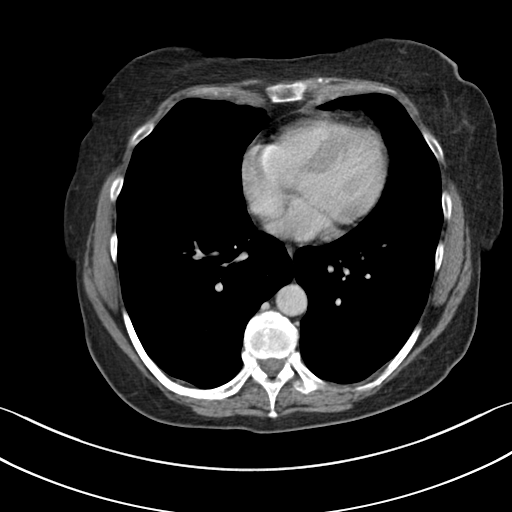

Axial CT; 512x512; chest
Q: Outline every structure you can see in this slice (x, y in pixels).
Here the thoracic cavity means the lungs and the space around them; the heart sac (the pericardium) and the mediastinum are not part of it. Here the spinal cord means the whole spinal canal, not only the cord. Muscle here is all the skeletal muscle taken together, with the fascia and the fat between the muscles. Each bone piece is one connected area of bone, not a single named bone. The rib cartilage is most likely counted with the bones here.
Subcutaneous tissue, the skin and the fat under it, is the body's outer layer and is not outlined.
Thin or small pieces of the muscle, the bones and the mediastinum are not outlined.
A: Outlines (x, y in pixels):
spinal cord: 269 358; 275 358; 279 360; 282 360; 283 362; 282 364; 282 367; 280 369; 280 370; 273 377; 270 377; 268 375; 268 374; 265 371; 264 371; 261 367; 261 362
bones 1: 123 308; 157 366; 172 380; 200 389; 222 385; 241 369; 248 321; 256 313; 277 311; 298 329; 302 361; 327 385; 304 394; 290 379; 276 396; 274 418; 268 416; 266 390; 251 378; 237 393; 223 399; 177 394; 142 361; 127 333 with a hole at 269 358; 275 358; 279 360; 282 360; 283 362; 282 364; 282 367; 280 369; 280 370; 273 377; 270 377; 268 375; 268 374; 265 371; 264 371; 261 367; 261 362
bones 2: 318 77; 333 78; 335 80; 334 81; 335 82; 325 85; 312 92; 306 93; 304 96; 304 98; 302 100; 274 103; 269 100; 265 92; 265 87; 271 84; 275 84; 276 83; 286 84; 287 83; 292 83; 298 80; 302 81; 313 80
bones 3: 418 324; 421 326; 421 331; 415 343; 406 356; 395 368; 395 369; 394 369; 380 384; 370 389; 367 389; 363 391; 356 391; 354 390; 353 389; 356 386; 358 385; 362 385; 375 379; 383 371; 390 360; 395 356; 403 346; 416 325
bones 4: 422 130; 425 130; 429 132; 432 135; 433 135; 438 141; 443 151; 443 157; 441 159; 439 160; 437 160; 437 159; 435 157; 434 154; 428 146; 427 143; 425 141; 421 133; 421 131
bones 5: 146 122; 153 122; 154 123; 154 124; 155 125; 154 126; 152 131; 148 135; 147 135; 145 137; 144 137; 135 146; 133 146; 131 143; 131 138; 132 137; 132 136; 134 134; 134 133; 138 129; 138 128; 140 126; 141 126
bones 6: 443 190; 445 190; 446 191; 447 191; 447 192; 450 195; 450 196; 451 197; 451 216; 449 218; 449 219; 444 219; 443 218; 443 212; 442 211; 442 206; 441 205; 441 193; 442 192; 442 191
bones 7: 119 175; 122 175; 124 177; 124 179; 123 180; 123 184; 122 185; 121 190; 119 194; 117 196; 117 198; 116 200; 114 202; 110 199; 110 196; 109 195; 110 194; 110 187; 111 186; 111 184; 113 180; 117 176
bones 8: 439 241; 441 241; 443 243; 443 244; 444 245; 444 251; 443 252; 443 257; 442 258; 442 261; 441 262; 441 264; 439 267; 439 269; 436 272; 434 272; 434 268; 435 267; 435 251; 436 250; 436 247; 437 246; 437 244
bones 9: 114 231; 115 231; 116 232; 116 234; 117 235; 117 256; 116 257; 116 263; 115 263; 112 260; 112 258; 111 257; 111 255; 110 254; 110 249; 109 248; 109 239; 110 238; 110 236; 112 234; 112 233
muscle 1: 444 155; 449 175; 462 199; 472 266; 471 280; 451 320; 394 378; 350 408; 336 412; 295 411; 277 417; 277 396; 290 380; 296 391; 307 395; 324 390; 327 382; 357 383; 373 378; 378 372; 375 378; 352 389; 356 392; 370 390; 396 369; 416 343; 422 331; 418 321; 427 303; 434 273; 440 269; 444 257; 445 245; 439 240; 443 219; 449 220; 452 216; 452 197; 441 188; 438 161
muscle 2: 138 126; 130 138; 134 147; 125 174; 119 174; 112 180; 108 195; 115 202; 116 208; 116 229; 109 236; 108 248; 111 260; 117 264; 125 307; 121 309; 121 317; 130 342; 154 377; 169 391; 180 396; 198 400; 223 400; 237 394; 251 379; 267 394; 268 417; 238 414; 209 417; 170 400; 117 345; 86 294; 83 283; 84 254; 90 226; 95 218; 98 195; 108 174; 121 162; 128 139
muscle 3: 314 76; 325 76; 326 77; 318 76; 313 79; 306 79; 305 80; 298 79; 292 82; 286 83; 276 82; 268 84; 264 87; 264 92; 269 101; 265 101; 257 104; 237 103; 225 99; 187 97; 178 101; 156 124; 153 121; 146 121; 140 125; 149 116; 153 114; 159 105; 170 95; 190 86; 198 84; 224 84; 225 83; 238 82; 246 79; 262 79; 268 82; 278 82; 284 79; 303 79; inner edges: 206 86; 212 86; 218 92; 218 93; 216 95; 214 95; 212 93; 207 93; 206 94; 196 94; 194 92; 194 91; 197 88; 201 88; 202 87; 205 87, then 222 87; 223 87; 224 87; 225 88; 226 88; 227 89; 228 90; 229 91; 230 92; 230 93; 229 94; 228 95; 227 95; 226 95; 225 94; 224 93; 223 93; 222 92; 221 91; 220 90; 220 89; 221 88
muscle 4: 331 76; 345 78; 358 78; 377 81; 398 89; 405 94; 417 107; 423 121; 432 130; 438 140; 429 131; 425 129; 422 129; 420 131; 404 106; 395 97; 390 95; 393 95; 396 92; 393 88; 388 86; 378 86; 376 88; 378 92; 344 94; 332 99; 325 99; 320 101; 317 101; 311 97; 304 99; 306 94; 317 91; 325 86; 334 84; 336 82; 335 81; 336 80; 333 77; 330 77 with a hole at 359 84; 362 84; 363 85; 364 85; 366 87; 365 88; 364 88; 361 90; 357 90; 356 89; 354 89; 353 88; 350 88; 349 89; 345 89; 344 90; 343 90; 343 86; 344 86; 345 85; 350 85; 353 87; 354 86; 356 86
pericardium: 306 107; 314 107; 328 111; 354 112; 360 115; 365 115; 379 128; 389 156; 389 169; 382 193; 377 203; 357 225; 329 242; 297 245; 260 229; 254 223; 248 212; 243 193; 241 168; 243 156; 247 147; 259 133; 273 120; 280 116
torso: 381 37; 410 39; 442 52; 462 78; 482 91; 493 113; 503 219; 481 261; 477 322; 465 354; 424 394; 380 413; 321 427; 277 433; 190 428; 136 411; 90 356; 63 242; 66 192; 102 91; 131 59; 170 45; 238 57; 292 58
mediastinum 1: 293 276; 294 276; 297 283; 299 284; 302 288; 303 288; 307 296; 307 309; 299 322; 299 329; 285 315; 282 314; 277 310; 269 309; 268 310; 265 310; 260 312; 256 312; 264 302; 268 300; 280 288; 289 283; 291 281
mediastinum 2: 308 98; 311 98; 317 102; 331 100; 320 104; 318 106; 318 108; 314 106; 306 106; 291 110; 273 119; 266 126; 269 121; 269 117; 266 111; 261 107; 256 107; 251 105; 257 105; 265 102; 270 102; 274 104; 289 103; 302 101
mediastinum 3: 280 240; 282 240; 283 241; 285 241; 286 242; 289 242; 290 243; 295 244; 297 246; 302 246; 300 246; 295 251; 295 252; 294 253; 294 256; 293 257; 293 261; 289 256; 289 255; 286 250; 286 248; 285 247; 283 242; 281 240
mediastinum 4: 336 108; 338 108; 339 109; 345 109; 346 110; 355 110; 356 109; 361 109; 374 121; 370 119; 370 118; 368 117; 365 114; 360 114; 354 111; 342 111; 341 110; 330 110; 332 110
thoracic cavity: 366 93; 403 106; 440 172; 433 277; 402 346; 373 377; 321 378; 298 349; 308 296; 293 275; 247 321; 229 380; 172 379; 122 296; 116 201; 134 148; 187 98; 263 109; 242 193; 293 262; 383 193; 379 126; 361 108; 319 108